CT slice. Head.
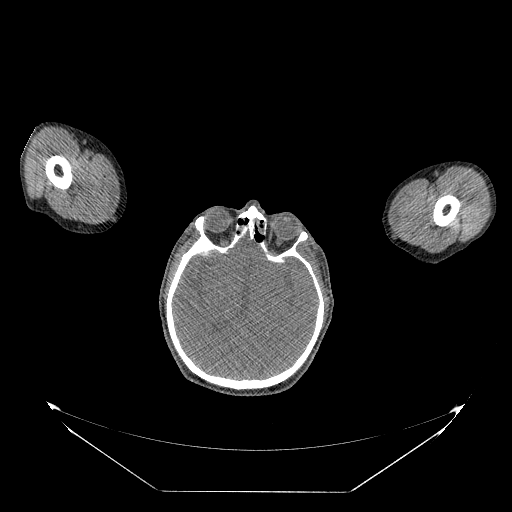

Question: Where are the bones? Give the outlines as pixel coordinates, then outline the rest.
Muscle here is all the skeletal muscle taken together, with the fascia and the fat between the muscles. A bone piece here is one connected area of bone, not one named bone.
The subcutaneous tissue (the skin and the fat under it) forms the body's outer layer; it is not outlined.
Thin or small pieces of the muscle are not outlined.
Answer: {"bones":[{"outer":[[251,204],[267,219],[270,249],[283,251],[300,229],[307,233],[296,249],[318,282],[323,322],[291,376],[268,387],[234,389],[210,383],[186,366],[169,335],[166,302],[182,255],[199,237],[196,219],[206,216],[205,233],[213,242],[228,242],[236,216]],"hole":[[246,238],[259,248],[268,262],[283,264],[286,258],[299,261],[311,279],[316,296],[312,330],[302,351],[289,366],[261,378],[236,378],[210,373],[203,369],[184,349],[173,314],[173,298],[190,260],[196,255],[210,257],[214,251],[227,255],[229,250]]},[[55,154],[61,154],[64,156],[69,162],[71,166],[71,169],[72,170],[71,171],[72,173],[72,182],[70,186],[67,189],[64,190],[55,187],[48,179],[45,173],[45,166],[44,165],[45,159],[48,158],[51,155],[54,155]],[[448,193],[451,193],[455,195],[459,199],[460,201],[460,207],[458,212],[455,216],[455,218],[451,222],[451,224],[450,225],[448,225],[447,226],[439,226],[435,224],[432,218],[432,214],[433,213],[434,205],[437,199],[440,196],[444,194],[447,194]]],"muscle":[{"outer":[[46,126],[57,126],[75,132],[95,144],[113,164],[120,185],[120,200],[114,214],[114,217],[112,219],[99,224],[87,224],[79,221],[68,220],[64,219],[56,214],[43,200],[42,201],[30,199],[27,192],[24,176],[25,155],[32,137],[40,129]],"hole":[[55,154],[61,154],[64,156],[69,162],[71,166],[71,169],[72,170],[71,171],[72,173],[72,182],[70,186],[67,189],[64,190],[55,187],[48,179],[45,173],[45,166],[44,165],[45,159],[48,158],[51,155],[54,155]]},{"outer":[[451,165],[465,165],[472,167],[478,171],[484,178],[490,194],[491,212],[483,227],[475,235],[465,242],[457,244],[434,254],[405,244],[393,237],[392,231],[388,223],[387,216],[391,202],[399,190],[404,185],[414,179],[432,173],[435,170],[446,168]],"hole":[[448,193],[451,193],[455,195],[459,199],[460,201],[460,207],[458,212],[455,216],[455,218],[451,222],[451,224],[450,225],[448,225],[447,226],[439,226],[435,224],[432,218],[432,214],[433,213],[434,205],[437,199],[440,196],[444,194],[447,194]]},[[308,238],[313,244],[321,259],[324,280],[328,291],[328,297],[329,298],[328,313],[323,327],[323,323],[324,322],[324,299],[323,298],[322,291],[319,282],[317,279],[317,277],[313,270],[311,264],[298,251],[297,249],[298,245],[301,242],[307,240]],[[193,225],[194,225],[195,229],[198,232],[198,237],[181,255],[179,259],[178,264],[168,287],[166,295],[166,301],[165,302],[165,313],[163,305],[163,294],[164,293],[164,288],[167,281],[167,277],[170,270],[170,266],[178,247]]],"brain":[[[246,238],[259,248],[268,262],[283,264],[286,258],[299,261],[311,279],[316,296],[312,330],[302,351],[289,366],[261,378],[236,378],[210,373],[203,369],[184,349],[173,314],[173,298],[190,260],[196,255],[210,257],[214,251],[227,255],[229,250]]],"left_arm":[[[447,160],[471,161],[479,165],[485,170],[490,177],[495,189],[497,200],[496,213],[493,221],[485,233],[478,239],[472,242],[466,248],[438,263],[435,264],[422,263],[390,241],[385,234],[382,225],[381,221],[382,212],[389,193],[402,180],[421,168]]],"right_arm":[[[47,120],[63,122],[95,136],[111,150],[120,164],[124,174],[125,184],[127,189],[127,202],[122,216],[109,229],[100,233],[89,234],[74,233],[62,228],[46,215],[32,211],[27,207],[24,201],[20,183],[19,161],[24,148],[35,127],[40,122]]],"head":[[[251,199],[257,200],[270,214],[282,211],[293,213],[309,230],[326,255],[334,305],[329,326],[319,349],[307,370],[294,385],[276,394],[235,396],[213,391],[191,382],[183,376],[164,339],[158,309],[158,295],[170,251],[193,217],[214,205],[240,208]]]}